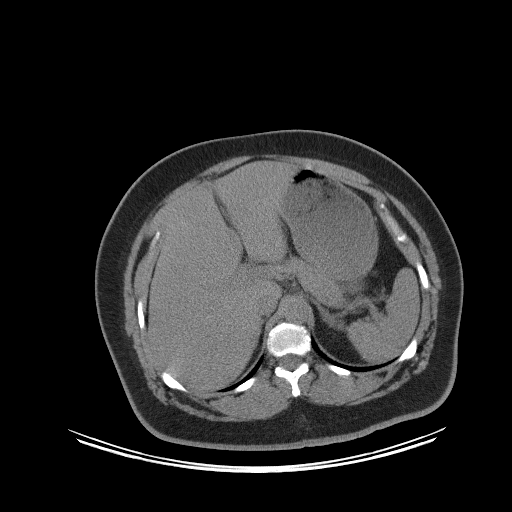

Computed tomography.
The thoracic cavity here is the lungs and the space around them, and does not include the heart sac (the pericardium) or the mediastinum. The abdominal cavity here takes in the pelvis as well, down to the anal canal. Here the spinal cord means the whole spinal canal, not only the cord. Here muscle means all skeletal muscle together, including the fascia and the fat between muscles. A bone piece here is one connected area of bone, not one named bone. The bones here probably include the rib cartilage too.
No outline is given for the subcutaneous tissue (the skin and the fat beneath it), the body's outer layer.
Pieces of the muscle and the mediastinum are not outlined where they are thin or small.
{"mediastinum":[[[290,301],[297,301],[298,302],[301,302],[301,303],[305,306],[305,309],[307,310],[307,328],[304,325],[299,324],[298,323],[288,322],[287,321],[281,321],[280,322],[278,322],[278,320],[280,319],[280,316],[282,315],[282,310],[284,307],[284,305]]],"torso":[[[279,129],[321,130],[362,142],[403,167],[434,201],[453,236],[463,271],[463,303],[453,387],[443,403],[432,412],[349,441],[270,451],[220,450],[164,441],[149,432],[136,417],[100,328],[94,297],[94,269],[102,234],[130,185],[164,156],[204,140]]],"thoracic_cavity":[[[312,339],[314,340],[319,349],[328,358],[344,365],[353,366],[354,367],[366,367],[367,366],[375,366],[391,362],[385,366],[376,368],[372,370],[368,370],[367,371],[351,371],[347,368],[330,363],[320,356],[312,348],[312,344],[311,343]],[[262,357],[263,358],[263,360],[261,364],[259,366],[256,372],[252,376],[246,379],[244,381],[241,382],[231,390],[228,390],[227,391],[220,391],[225,388],[227,388],[239,382],[240,380],[245,377],[250,372],[250,371],[256,365],[260,358]]],"abdominal_cavity":[[[254,158],[321,171],[375,199],[398,247],[415,266],[422,288],[418,327],[393,361],[354,366],[328,357],[311,336],[306,306],[290,300],[267,333],[264,356],[239,381],[219,391],[202,392],[162,371],[146,337],[145,306],[166,227],[183,201],[219,174]]],"bones":[{"outer":[[281,322],[302,325],[308,330],[311,337],[311,350],[305,356],[309,368],[308,371],[298,379],[297,383],[300,394],[297,397],[292,395],[291,385],[284,378],[275,375],[274,367],[277,363],[276,359],[267,351],[266,347],[268,333],[274,326]],"hole":[[287,354],[294,354],[295,355],[297,355],[299,356],[301,358],[301,362],[294,369],[292,370],[289,370],[288,369],[286,369],[284,368],[281,365],[280,365],[279,363],[279,358]]},[[380,203],[383,203],[385,205],[389,213],[395,219],[401,229],[406,233],[407,235],[407,240],[405,242],[400,242],[396,240],[396,236],[386,224],[386,222],[384,220],[384,219],[382,217],[382,215],[380,213],[380,211],[378,207],[378,205]],[[414,337],[415,337],[417,339],[417,348],[416,349],[416,352],[415,354],[411,358],[409,359],[406,359],[401,362],[397,362],[396,363],[394,362],[394,361],[400,356],[400,355],[404,351],[406,347],[409,344],[411,340]],[[163,371],[169,374],[172,378],[173,378],[175,380],[179,382],[184,387],[185,387],[187,389],[187,391],[181,391],[177,389],[170,388],[168,386],[167,386],[164,383],[163,380],[161,378],[161,373]],[[417,261],[419,261],[422,264],[426,271],[426,273],[428,277],[428,280],[429,281],[429,287],[427,289],[425,289],[422,287],[422,285],[420,281],[420,278],[419,277],[419,275],[418,274],[418,272],[417,271],[417,269],[415,265],[415,263]],[[139,299],[142,299],[142,300],[143,301],[143,303],[144,304],[144,322],[145,323],[145,327],[144,328],[144,329],[143,330],[141,330],[140,329],[140,328],[139,327],[139,324],[138,323],[138,316],[137,315],[137,302],[138,301],[138,300]],[[158,230],[160,232],[160,234],[159,235],[159,238],[156,243],[156,245],[153,250],[153,252],[154,253],[153,254],[152,260],[148,265],[146,265],[147,255],[148,254],[148,251],[150,247],[150,243],[151,242],[151,240],[153,238],[155,233]],[[253,376],[255,376],[256,377],[256,379],[253,383],[253,384],[249,388],[248,388],[243,391],[241,391],[240,392],[234,392],[232,390],[233,389],[234,389],[238,385],[239,385],[241,383],[244,382],[246,380],[249,379]],[[329,363],[330,364],[332,364],[333,365],[335,365],[336,366],[338,366],[339,367],[341,367],[342,368],[347,369],[348,370],[349,370],[351,372],[351,373],[347,376],[344,376],[343,375],[339,375],[328,368],[328,367],[327,366],[327,364],[328,364]]],"spinal_cord":[[[287,354],[294,354],[295,355],[297,355],[299,356],[301,358],[301,362],[294,369],[292,370],[289,370],[288,369],[286,369],[284,368],[281,365],[280,365],[279,363],[279,358]]],"muscle":[{"outer":[[263,153],[316,158],[351,168],[363,174],[374,183],[392,194],[408,209],[426,233],[434,251],[439,267],[438,274],[441,279],[441,288],[438,291],[439,300],[437,310],[437,328],[433,347],[426,367],[421,372],[413,375],[409,380],[398,388],[380,397],[354,405],[338,406],[337,405],[320,405],[309,402],[299,397],[294,398],[286,409],[282,410],[279,413],[267,419],[257,419],[251,421],[213,421],[190,414],[173,405],[163,404],[148,388],[147,382],[143,373],[143,369],[139,362],[137,354],[132,346],[133,343],[132,339],[126,334],[124,328],[125,318],[123,303],[123,274],[132,242],[138,230],[145,219],[158,208],[158,203],[165,196],[196,174],[220,161],[236,156]],"holes":[[[254,158],[321,171],[385,205],[407,235],[405,242],[395,241],[398,247],[414,266],[417,261],[422,264],[429,281],[429,287],[422,289],[414,335],[417,348],[411,358],[344,376],[329,369],[312,348],[305,356],[308,371],[297,382],[297,397],[291,385],[275,375],[276,359],[267,351],[253,375],[255,381],[240,392],[181,391],[164,383],[146,330],[139,327],[137,302],[142,299],[146,305],[166,227],[183,201],[219,174]],[[158,230],[160,232],[160,234],[159,235],[159,238],[156,243],[156,245],[153,250],[153,252],[154,253],[153,254],[152,260],[148,265],[146,265],[147,255],[148,254],[148,251],[150,247],[150,243],[151,242],[151,240],[153,238],[155,233]]]}]}